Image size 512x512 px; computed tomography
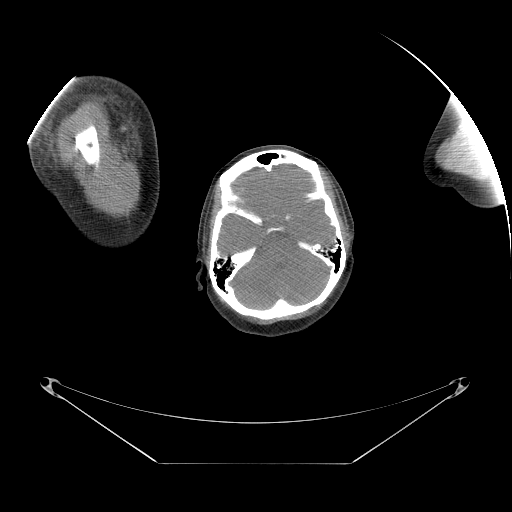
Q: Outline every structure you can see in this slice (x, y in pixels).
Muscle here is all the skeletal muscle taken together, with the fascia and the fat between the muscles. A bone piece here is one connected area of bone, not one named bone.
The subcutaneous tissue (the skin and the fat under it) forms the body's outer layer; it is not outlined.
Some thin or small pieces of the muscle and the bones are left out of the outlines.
A: The brain is outlined by 280,165 306,172 313,187 305,201 322,201 332,233 323,242 296,244 328,274 307,301 279,297 252,307 231,282 257,246 229,253 219,238 229,214 263,225 260,215 238,204 244,199 233,184 255,168 270,172, around a hole outlined by 272,226 282,226 283,227 283,228 282,229 282,230 276,230 275,231 271,231 270,232 269,232 268,233 266,231 266,230 267,229 267,228 268,227 271,227. The right arm is outlined by 80,73 109,75 131,86 145,101 155,127 160,163 160,194 157,208 145,233 133,244 121,249 106,249 100,247 90,242 80,234 69,221 56,200 48,193 38,180 29,157 27,142 37,122 59,91 67,82. The muscle appears in 5 outlined pieces: piece 1: 79,96 101,96 105,99 108,99 122,112 134,128 141,154 141,201 135,213 128,220 116,220 103,213 96,212 88,207 75,193 68,179 57,168 56,162 54,160 50,148 50,138 53,124 62,109 71,100 with a hole at 89,124 93,124 96,129 96,131 97,132 97,137 98,138 98,142 99,143 99,147 100,148 100,159 96,164 94,164 93,165 90,165 85,161 81,154 78,151 78,147 75,144 75,134 77,132 86,128; piece 2: 466,111 473,120 477,127 476,128 479,131 487,146 497,170 497,173 501,183 489,181 480,181 477,179 470,179 465,176 453,172 441,170 435,162 434,155 439,148 441,142 456,126 460,120 460,118; piece 3: 343,272 343,275 340,281 340,283 334,291 332,296 329,298 328,301 316,313 297,320 282,320 268,325 259,325 258,324 254,324 239,318 232,311 224,307 217,299 214,293 214,291 220,299 228,305 232,310 242,316 249,316 250,317 257,318 261,320 270,320 274,318 281,319 287,316 302,313 314,306 317,306 321,304 333,291 336,285 338,283; piece 4: 320,166 326,171 327,174 332,180 338,192 343,206 343,209 345,212 345,216 347,219 350,234 348,240 347,256 345,240 342,235 340,226 341,222 339,219 338,213 334,206 333,200 326,190 326,186 320,170; piece 5: 217,180 217,186 219,189 219,202 220,203 220,207 216,211 213,217 212,226 210,229 210,232 209,233 209,259 207,263 203,257 203,233 204,232 204,221 206,216 206,212 213,192 214,185. The bones appear in 2 outlined pieces: piece 1: 266,149 288,149 310,158 318,164 325,190 332,200 340,222 346,261 337,283 321,303 302,312 281,318 261,319 242,315 221,299 212,287 207,264 210,259 210,233 214,217 221,207 218,186 220,174 242,157; inner edges: 280,165 306,172 313,187 305,201 322,201 332,233 323,242 296,244 328,274 307,301 279,297 252,307 231,282 257,246 229,253 219,238 229,214 263,225 260,215 238,204 244,199 233,184 255,168 270,172, then 266,154 275,154 276,155 276,156 275,157 271,157 270,158 270,159 269,160 269,161 267,163 265,163 264,162 263,162 262,161 261,161 259,159 259,158 261,156 262,156 263,155 265,155; piece 2: 89,124 93,124 96,129 96,131 97,132 97,137 98,138 98,142 99,143 99,147 100,148 100,159 96,164 94,164 93,165 90,165 85,161 81,154 78,151 78,147 75,144 75,134 77,132 86,128. The head is outlined by 267,144 290,145 319,158 342,188 355,231 352,245 354,266 339,300 311,326 299,332 274,337 234,328 211,304 205,279 200,279 201,291 197,289 195,281 200,268 200,264 195,261 199,218 214,174 238,153, around a hole outlined by 266,154 275,154 276,155 276,156 275,157 271,157 270,158 270,159 269,160 269,161 267,163 265,163 264,162 263,162 262,161 261,161 259,159 259,158 261,156 262,156 263,155 265,155. The left arm is outlined by 450,96 456,97 462,104 482,136 497,170 497,173 499,176 503,190 505,205 501,204 493,208 479,208 473,206 464,200 453,189 445,187 439,187 430,182 425,176 422,166 422,159 424,150 431,133.